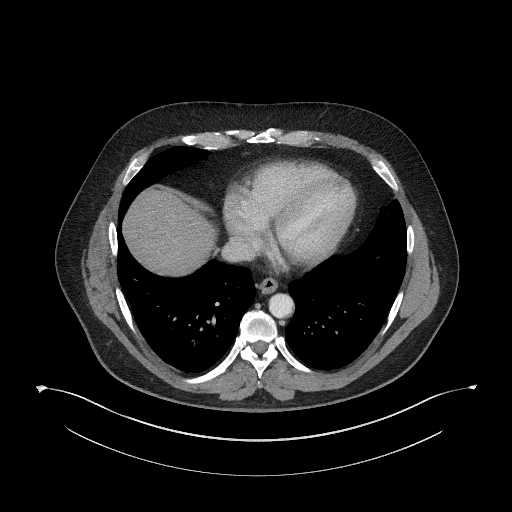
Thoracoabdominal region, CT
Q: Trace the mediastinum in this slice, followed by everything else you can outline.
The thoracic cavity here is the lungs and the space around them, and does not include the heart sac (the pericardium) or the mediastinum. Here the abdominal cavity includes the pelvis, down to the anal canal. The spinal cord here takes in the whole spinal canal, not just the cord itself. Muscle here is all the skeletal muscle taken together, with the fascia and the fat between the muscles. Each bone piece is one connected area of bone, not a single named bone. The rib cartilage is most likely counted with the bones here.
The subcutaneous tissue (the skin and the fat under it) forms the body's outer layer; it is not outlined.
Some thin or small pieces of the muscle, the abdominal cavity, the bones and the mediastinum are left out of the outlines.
A: {"mediastinum":[[[280,335],[295,309],[288,283],[357,249],[393,199],[351,151],[247,145],[210,152],[159,182],[210,202],[222,222],[227,180],[255,159],[317,157],[357,177],[365,197],[358,233],[303,275],[263,272],[223,225],[214,257],[250,270],[248,311],[269,314]]],"pericardium":[[[288,277],[303,274],[319,261],[342,250],[350,244],[357,233],[362,217],[364,197],[359,181],[350,171],[317,158],[274,155],[241,166],[228,180],[223,198],[223,224],[227,235],[234,240],[242,241],[250,248],[253,258],[252,261],[260,269],[268,273]]],"abdominal_cavity":[[[170,277],[179,277],[190,273],[206,260],[211,258],[216,253],[220,244],[220,238],[222,233],[222,223],[218,211],[210,203],[174,186],[156,183],[142,190],[131,202],[124,215],[123,220],[120,223],[121,235],[127,249],[131,255],[141,265],[160,275]]],"thoracic_cavity":[[[188,373],[207,371],[227,353],[242,316],[253,303],[255,288],[246,267],[213,257],[186,276],[160,276],[141,266],[122,243],[119,223],[133,198],[171,170],[208,154],[196,147],[176,146],[150,158],[123,193],[118,212],[117,274],[133,317],[152,349]],[[322,370],[343,367],[366,349],[384,324],[399,289],[406,265],[406,226],[402,210],[394,199],[382,206],[376,225],[366,241],[357,250],[345,258],[332,259],[301,278],[292,280],[288,285],[296,309],[291,321],[285,327],[287,345],[300,361],[311,368]]],"spinal_cord":[[[259,358],[261,358],[261,356],[262,355],[262,354],[264,352],[264,351],[266,349],[266,346],[267,345],[265,343],[264,343],[263,342],[261,342],[260,341],[259,341],[252,345],[252,346],[253,347],[253,349],[257,353],[257,354],[259,356]]],"bones":[{"outer":[[188,384],[208,381],[223,373],[238,360],[250,363],[259,378],[263,371],[276,360],[284,361],[305,373],[313,371],[290,352],[284,336],[278,334],[275,322],[269,315],[262,311],[251,311],[243,316],[239,334],[224,358],[201,375],[183,378],[182,381]],"hole":[[259,358],[261,358],[261,356],[262,355],[262,354],[264,352],[264,351],[266,349],[266,346],[267,345],[265,343],[264,343],[263,342],[261,342],[260,341],[259,341],[252,345],[252,346],[253,347],[253,349],[257,353],[257,354],[259,356]]},[[210,151],[228,147],[238,141],[244,141],[247,144],[274,143],[277,145],[307,146],[314,141],[319,142],[321,137],[309,130],[285,131],[274,127],[267,128],[258,133],[247,129],[228,129],[222,132],[198,132],[181,136],[181,141],[185,145],[196,146]],[[393,192],[396,192],[398,190],[398,186],[391,172],[388,169],[387,166],[382,160],[380,159],[378,159],[372,155],[369,155],[368,157],[369,158],[369,160],[370,161],[370,163],[371,164],[372,169],[382,179],[382,180],[390,188],[390,189]],[[135,334],[138,333],[139,332],[139,330],[133,321],[132,314],[129,309],[129,307],[127,304],[127,302],[124,297],[124,295],[122,291],[119,287],[116,287],[115,288],[115,294],[116,295],[116,298],[118,302],[118,305],[119,306],[120,311],[128,326]],[[125,187],[129,183],[129,182],[133,178],[133,177],[141,169],[141,168],[144,165],[144,164],[148,159],[148,154],[147,153],[142,154],[140,156],[136,158],[134,158],[130,162],[125,172],[125,174],[122,180],[122,185]],[[380,335],[383,335],[386,332],[388,328],[391,325],[393,320],[395,318],[398,312],[399,307],[401,304],[401,302],[403,298],[403,291],[401,290],[398,292],[392,304],[392,306],[388,313],[386,322],[379,332],[379,334]],[[116,259],[117,258],[117,256],[118,255],[118,238],[117,237],[117,232],[116,231],[116,225],[112,221],[111,221],[110,222],[109,222],[109,223],[108,224],[108,238],[109,239],[109,243],[110,244],[110,248],[111,249],[111,252],[112,253],[112,255]],[[407,257],[409,257],[411,255],[411,253],[412,252],[412,251],[413,250],[413,246],[414,245],[414,231],[413,230],[413,228],[412,227],[412,226],[411,225],[407,225],[407,231],[406,232],[406,251],[407,252]]],"muscle":[[[229,401],[240,401],[258,390],[264,390],[275,399],[285,401],[301,391],[341,388],[378,364],[431,313],[437,302],[440,285],[435,254],[417,208],[391,164],[381,154],[357,140],[341,134],[314,131],[322,137],[319,143],[314,142],[307,147],[280,145],[351,150],[370,165],[367,157],[369,154],[382,159],[399,186],[399,190],[392,194],[393,197],[403,210],[406,225],[411,224],[415,231],[414,250],[407,258],[399,290],[404,291],[404,298],[396,318],[383,336],[378,334],[358,358],[337,370],[312,369],[312,374],[305,374],[284,362],[276,361],[259,379],[250,364],[238,361],[208,382],[188,385],[181,381],[183,377],[201,374],[188,374],[164,362],[141,334],[135,335],[124,321],[114,294],[114,288],[119,286],[116,260],[111,255],[107,238],[108,222],[112,220],[118,225],[117,212],[125,188],[121,185],[122,177],[134,157],[147,152],[149,158],[170,147],[184,145],[180,136],[197,132],[165,136],[136,151],[117,176],[94,218],[80,264],[86,294],[94,314],[130,354],[171,386],[188,392],[217,395]]],"torso":[[[243,413],[307,410],[369,394],[402,376],[421,358],[451,309],[459,282],[459,255],[443,201],[412,141],[395,124],[374,112],[333,102],[188,101],[149,109],[128,120],[109,138],[63,219],[54,250],[56,276],[102,367],[128,387],[160,400],[193,408]]]}